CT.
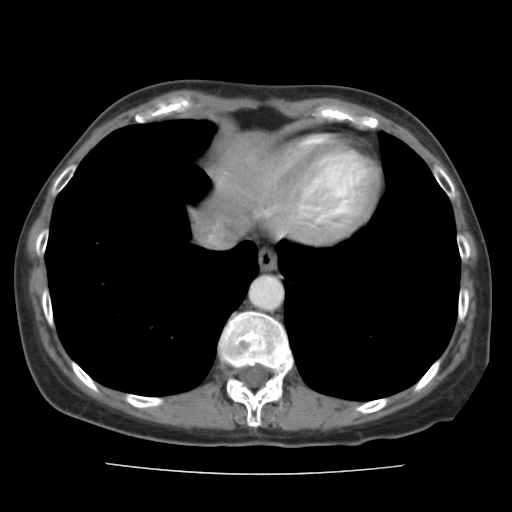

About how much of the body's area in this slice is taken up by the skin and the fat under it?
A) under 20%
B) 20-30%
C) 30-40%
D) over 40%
A) under 20%
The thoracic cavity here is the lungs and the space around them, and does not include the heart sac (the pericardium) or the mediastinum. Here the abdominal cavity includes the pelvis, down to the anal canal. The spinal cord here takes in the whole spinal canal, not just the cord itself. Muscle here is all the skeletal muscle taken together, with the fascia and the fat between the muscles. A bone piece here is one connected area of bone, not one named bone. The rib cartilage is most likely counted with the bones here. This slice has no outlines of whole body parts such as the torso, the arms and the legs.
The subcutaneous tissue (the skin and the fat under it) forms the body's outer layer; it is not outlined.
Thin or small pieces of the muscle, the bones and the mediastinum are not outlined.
The pericardium is outlined by 331 126; 353 131; 365 136; 371 141; 381 160; 381 167; 385 176; 385 190; 368 222; 347 239; 330 247; 313 247; 287 241; 285 240; 285 236; 283 234; 262 221; 261 218; 261 176; 268 154; 280 142; 283 142; 293 135; 316 127. The thoracic cavity appears in 2 outlined pieces: piece 1: 166 116; 215 125; 207 147; 193 160; 211 187; 196 203; 185 204; 189 241; 223 251; 250 240; 257 248; 258 270; 221 330; 215 362; 203 381; 186 391; 149 396; 94 380; 67 353; 54 321; 44 255; 56 197; 88 152; 116 129; piece 2: 380 130; 400 139; 419 155; 447 196; 455 223; 460 277; 456 320; 440 356; 412 385; 388 396; 359 401; 316 391; 298 373; 285 328; 285 278; 278 266; 277 245; 286 241; 313 248; 330 248; 347 240; 369 222; 388 189; 378 139. The abdominal cavity is outlined by 259 108; 293 119; 320 122; 280 141; 267 154; 260 176; 261 221; 283 235; 284 240; 255 243; 243 239; 223 250; 194 244; 190 241; 192 233; 186 204; 196 204; 212 187; 210 178; 194 160; 206 150; 216 131; 212 121; 196 117. The muscle is outlined by 180 89; 200 90; 222 97; 248 97; 260 101; 267 100; 270 98; 281 98; 289 101; 295 101; 308 98; 333 97; 349 102; 357 103; 373 109; 378 113; 409 130; 425 147; 443 162; 449 173; 454 179; 461 194; 462 208; 464 211; 465 219; 468 225; 468 229; 472 234; 476 245; 477 264; 474 275; 476 313; 473 320; 471 337; 465 357; 427 395; 409 406; 383 416; 378 419; 357 425; 344 426; 339 429; 331 429; 327 431; 318 431; 309 429; 302 429; 297 431; 285 431; 281 429; 270 430; 260 427; 256 431; 250 431; 247 428; 241 428; 235 430; 218 430; 217 429; 195 428; 191 431; 189 431; 186 429; 167 426; 133 417; 122 411; 118 411; 107 407; 92 399; 88 395; 78 389; 59 370; 44 349; 40 341; 38 331; 35 324; 34 311; 29 297; 28 277; 30 265; 26 255; 26 241; 29 230; 40 212; 47 190; 53 178; 74 152; 97 127; 114 116; 128 109; 137 106; 139 104; 141 104; 156 96; 173 90; 179 90; inner edge: 174 95; 187 98; 191 106; 168 115; 185 118; 265 108; 319 123; 330 120; 313 116; 316 108; 335 105; 359 117; 375 117; 376 130; 403 141; 430 169; 436 164; 444 170; 455 191; 449 201; 455 229; 469 245; 459 278; 469 301; 464 319; 455 321; 437 372; 422 388; 415 391; 411 385; 389 395; 384 407; 362 413; 355 410; 362 401; 316 391; 293 368; 283 379; 282 398; 266 402; 261 424; 253 427; 247 425; 246 406; 228 397; 230 370; 217 359; 198 385; 163 395; 156 406; 136 407; 125 400; 124 391; 97 381; 96 392; 76 375; 41 302; 48 277; 35 244; 50 225; 53 184; 105 136; 135 124; 143 108. The spinal cord is outlined by 255 364; 260 364; 265 367; 267 367; 270 370; 270 374; 268 378; 261 386; 257 388; 254 388; 252 389; 246 386; 244 384; 244 383; 238 378; 238 370; 240 368; 244 366; 253 366. The mediastinum appears in 2 outlined pieces: piece 1: 257 243; 278 243; 276 245; 277 266; 284 278; 283 286; 285 291; 283 306; 284 326; 281 322; 271 315; 261 311; 243 310; 236 313; 233 313; 243 301; 247 294; 250 283; 256 277; 258 273; 259 266; 258 265; 258 248; 256 244; piece 2: 326 121; 330 122; 333 121; 346 122; 360 129; 379 130; 377 134; 377 139; 379 144; 379 151; 381 159; 376 150; 376 148; 374 147; 374 144; 368 137; 353 130; 338 127; 334 125; 319 126; 321 124; 321 122. The bones appear in 11 outlined pieces: piece 1: 243 311; 261 312; 282 324; 287 334; 295 365; 295 368; 290 370; 283 379; 282 398; 279 401; 266 402; 262 406; 260 411; 261 424; 256 427; 247 425; 246 406; 228 397; 226 383; 230 370; 217 359; 217 345; 224 326; 232 314 with a hole at 255 364; 260 364; 265 367; 267 367; 270 370; 270 374; 268 378; 261 386; 257 388; 254 388; 252 389; 246 386; 244 384; 244 383; 238 378; 238 370; 240 368; 244 366; 253 366; piece 2: 174 95; 180 95; 185 98; 187 98; 191 102; 191 106; 187 108; 183 112; 173 111; 168 115; 161 115; 158 117; 156 117; 151 121; 148 121; 143 123; 138 123; 135 121; 134 116; 143 108; 147 106; 149 106; 166 97; 169 97; piece 3: 320 105; 335 105; 342 110; 359 117; 361 116; 372 116; 375 117; 378 120; 378 126; 374 129; 371 129; 366 127; 364 128; 360 128; 348 120; 337 121; 333 119; 330 120; 329 119; 326 119; 320 116; 313 116; 312 113; 316 108; piece 4: 435 164; 440 166; 444 170; 444 171; 447 174; 447 175; 449 177; 450 180; 452 182; 454 186; 454 190; 455 191; 455 197; 452 200; 450 200; 449 199; 448 196; 446 194; 444 190; 440 186; 440 185; 436 180; 431 170; 431 168; piece 5: 125 393; 130 393; 131 394; 135 394; 136 395; 139 395; 140 396; 148 396; 149 397; 162 397; 164 399; 164 401; 162 404; 160 405; 157 405; 156 406; 148 406; 147 407; 136 407; 128 403; 125 400; 124 398; 124 395; piece 6: 71 164; 77 164; 77 166; 74 171; 73 175; 70 178; 67 183; 62 188; 62 189; 56 195; 56 196; 54 196; 51 192; 51 190; 52 189; 52 187; 53 186; 54 182; 56 180; 58 176; 62 172; 62 171; 67 166; piece 7: 384 397; 388 397; 388 401; 386 405; 384 407; 376 411; 374 411; 370 413; 362 413; 359 411; 357 411; 355 410; 355 407; 361 404; 363 402; 366 402; 367 401; 370 401; 371 400; 375 400; 376 399; 379 399; 380 398; 383 398; piece 8: 47 286; 48 290; 49 291; 50 300; 51 301; 52 315; 53 316; 53 321; 54 322; 55 328; 52 328; 50 327; 50 326; 48 324; 43 312; 43 308; 42 307; 42 303; 41 302; 42 292; 44 288; piece 9: 440 357; 441 359; 441 361; 440 362; 440 364; 439 365; 438 370; 435 374; 435 375; 422 388; 421 388; 417 391; 415 391; 413 389; 413 386; 414 384; 415 384; 420 379; 420 378; 427 371; 427 370; 431 366; 431 365; 438 358; piece 10: 460 287; 463 287; 467 289; 468 291; 468 295; 469 296; 469 301; 468 302; 468 307; 467 308; 467 311; 466 312; 466 314; 465 315; 464 319; 461 322; 458 322; 457 321; 457 314; 458 313; 458 300; 459 299; 459 290; 460 289; piece 11: 71 360; 73 360; 94 381; 95 381; 96 383; 96 385; 99 391; 98 392; 96 392; 92 389; 91 389; 89 387; 88 387; 76 375; 76 374; 74 372; 71 366; 71 363; 70 362.